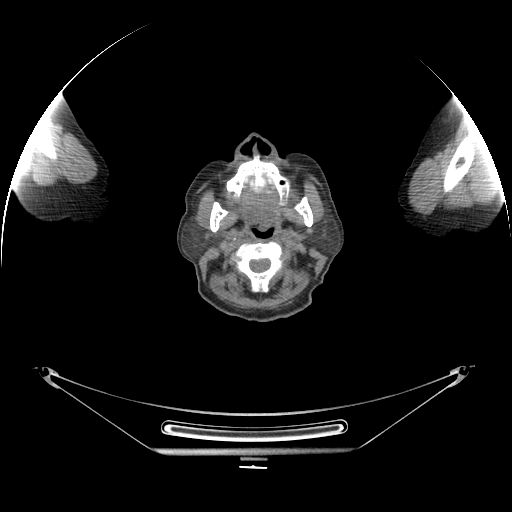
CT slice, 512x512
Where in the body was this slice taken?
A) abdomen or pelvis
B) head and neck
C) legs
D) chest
Answer: B) head and neck
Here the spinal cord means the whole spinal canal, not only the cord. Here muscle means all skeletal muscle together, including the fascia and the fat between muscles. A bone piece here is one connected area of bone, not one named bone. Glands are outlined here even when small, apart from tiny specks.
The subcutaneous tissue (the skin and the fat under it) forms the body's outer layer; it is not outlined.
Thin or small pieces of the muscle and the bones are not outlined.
Outlines (x, y in pixels):
bones 1: (255, 154) (259, 154) (260, 158) (263, 160) (271, 161) (278, 168) (280, 173) (289, 179) (289, 193) (284, 205) (279, 204) (279, 194) (271, 184) (262, 191) (255, 192) (250, 189) (246, 183) (237, 199) (227, 190) (226, 182) (237, 171) (242, 162) (247, 161)
bones 2: (269, 241) (274, 241) (281, 246) (283, 253) (282, 255) (283, 259) (282, 266) (269, 280) (268, 290) (266, 292) (262, 291) (254, 292) (252, 291) (250, 279) (244, 273) (238, 271) (236, 267) (236, 263) (231, 257) (238, 247) (243, 243) (257, 243) (258, 242) (266, 243) with a hole at (260, 259) (268, 259) (269, 260) (269, 261) (270, 262) (270, 264) (269, 265) (268, 268) (263, 271) (260, 271) (259, 272) (257, 272) (256, 271) (254, 271) (253, 270) (252, 270) (250, 268) (250, 266) (249, 265) (249, 263) (250, 262) (250, 261) (251, 260) (259, 260)
bones 3: (466, 134) (470, 136) (472, 139) (472, 141) (475, 148) (475, 158) (471, 166) (469, 168) (468, 171) (458, 182) (458, 183) (453, 188) (453, 189) (449, 192) (444, 192) (443, 191) (443, 177) (444, 176) (444, 172) (447, 166) (449, 164) (449, 162) (462, 137) (463, 137)
bones 4: (43, 113) (44, 114) (45, 119) (47, 122) (47, 124) (50, 129) (50, 131) (55, 140) (55, 143) (56, 144) (56, 148) (57, 149) (57, 152) (58, 153) (58, 158) (55, 161) (49, 160) (44, 156) (43, 156) (40, 153) (39, 153) (28, 139) (36, 123)
bones 5: (214, 201) (217, 201) (220, 204) (220, 205) (227, 211) (227, 213) (226, 215) (225, 215) (223, 217) (223, 218) (220, 220) (219, 222) (219, 227) (215, 232) (213, 232) (211, 231) (209, 227) (209, 218) (210, 217) (210, 214) (211, 213) (211, 210) (212, 209) (212, 205)
bones 6: (305, 195) (307, 197) (307, 200) (308, 201) (308, 203) (310, 206) (310, 208) (311, 209) (311, 211) (313, 215) (313, 223) (312, 225) (309, 227) (305, 225) (304, 223) (304, 220) (303, 219) (303, 217) (294, 208) (294, 206) (297, 203) (298, 203) (300, 201) (301, 198)
left arm: (452, 94) (457, 98) (472, 118) (487, 145) (500, 179) (505, 202) (492, 225) (476, 235) (455, 231) (450, 235) (449, 241) (439, 238) (418, 239) (406, 231) (400, 214) (402, 209) (397, 201) (396, 193) (405, 170) (411, 163) (428, 124) (440, 106) (448, 98) (451, 98)
head and neck: (254, 131) (273, 143) (280, 156) (301, 152) (317, 161) (344, 228) (343, 245) (322, 284) (312, 292) (311, 303) (291, 316) (267, 322) (228, 315) (206, 302) (197, 291) (194, 266) (181, 255) (176, 242) (185, 193) (197, 172) (212, 160) (231, 160) (236, 146) with holes at (252, 138) (254, 138) (255, 139) (260, 139) (269, 148) (269, 151) (267, 153) (264, 153) (262, 152) (260, 150) (258, 146) (258, 144) (257, 142) (255, 141) (253, 143) (252, 146) (250, 148) (249, 150) (249, 152) (247, 153) (245, 153) (243, 152) (242, 151) (242, 148) and at (270, 228) (272, 230) (272, 231) (271, 232) (271, 233) (269, 235) (268, 235) (267, 236) (258, 236) (257, 235) (256, 235) (256, 234) (254, 232) (254, 230) (255, 229) (256, 229) (257, 230) (258, 230) (260, 232) (265, 232) (267, 230) (268, 230)
spinal cord: (260, 259) (268, 259) (269, 260) (269, 261) (270, 262) (270, 264) (269, 265) (268, 268) (263, 271) (260, 271) (259, 272) (257, 272) (256, 271) (254, 271) (253, 270) (252, 270) (250, 268) (250, 266) (249, 265) (249, 263) (250, 262) (250, 261) (251, 260) (259, 260)
muscle 1: (262, 156) (306, 164) (317, 174) (329, 212) (313, 225) (314, 215) (305, 194) (293, 208) (304, 225) (311, 227) (310, 236) (327, 254) (327, 259) (317, 277) (291, 305) (278, 310) (247, 311) (224, 303) (206, 288) (197, 258) (207, 249) (209, 238) (207, 231) (190, 214) (193, 194) (208, 176) (242, 158) (250, 158) (242, 161) (225, 182) (232, 197) (237, 200) (246, 184) (255, 193) (271, 185) (278, 194) (278, 204) (284, 206) (290, 193) (290, 179), around holes outlined by (269, 241) (274, 241) (281, 246) (283, 253) (282, 255) (283, 259) (282, 266) (269, 280) (268, 290) (266, 292) (262, 291) (254, 292) (252, 291) (250, 279) (244, 273) (238, 271) (236, 267) (236, 263) (231, 257) (238, 247) (243, 243) (257, 243) (258, 242) (266, 243) and by (214, 201) (217, 201) (220, 204) (220, 205) (227, 211) (227, 213) (226, 215) (225, 215) (223, 217) (223, 218) (220, 220) (219, 222) (219, 227) (215, 232) (213, 232) (211, 231) (209, 227) (209, 218) (210, 217) (210, 214) (211, 213) (211, 210) (212, 209) (212, 205) and by (270, 228) (272, 230) (272, 231) (271, 232) (271, 233) (269, 235) (268, 235) (267, 236) (258, 236) (257, 235) (256, 235) (256, 234) (254, 232) (254, 230) (255, 229) (256, 229) (257, 230) (258, 230) (260, 232) (265, 232) (267, 230) (268, 230)
muscle 2: (458, 101) (462, 104) (472, 118) (487, 145) (500, 179) (501, 189) (497, 197) (492, 202) (484, 206) (457, 209) (438, 209) (434, 210) (430, 214) (423, 215) (414, 211) (408, 203) (407, 191) (409, 182) (418, 165) (429, 154) (430, 151) (434, 149) (440, 142) (453, 117), around a hole outlined by (466, 134) (470, 136) (472, 139) (472, 141) (475, 148) (475, 158) (471, 166) (469, 168) (468, 171) (458, 182) (458, 183) (453, 188) (453, 189) (449, 192) (444, 192) (443, 191) (443, 177) (444, 176) (444, 172) (447, 166) (449, 164) (449, 162) (462, 137) (463, 137)
muscle 3: (57, 95) (61, 100) (72, 132) (96, 162) (98, 168) (97, 175) (94, 179) (83, 185) (73, 185) (63, 182) (50, 188) (46, 188) (40, 187) (30, 180) (18, 183) (14, 172) (27, 140) (37, 152) (47, 160) (55, 162) (59, 158) (56, 140) (44, 113) (48, 105)
right arm: (62, 89) (64, 97) (79, 125) (102, 155) (109, 169) (109, 184) (105, 194) (112, 197) (113, 207) (109, 215) (103, 221) (96, 224) (83, 225) (65, 220) (51, 223) (38, 221) (22, 208) (17, 200) (15, 192) (9, 186) (20, 155) (36, 123) (51, 101)
parotid glands 1: (328, 213) (331, 214) (331, 215) (333, 217) (337, 224) (337, 227) (338, 228) (338, 237) (339, 238) (339, 242) (338, 243) (338, 245) (334, 250) (334, 251) (331, 254) (323, 252) (315, 244) (311, 236) (312, 227) (316, 223) (318, 223) (322, 219) (322, 218) (326, 214)
parotid glands 2: (192, 217) (195, 218) (196, 222) (206, 231) (207, 237) (208, 238) (206, 249) (200, 256) (198, 256) (194, 259) (189, 255) (188, 255) (188, 254) (186, 253) (186, 252) (182, 248) (182, 240) (181, 239) (181, 233) (183, 230) (184, 224) (189, 218) (191, 218)